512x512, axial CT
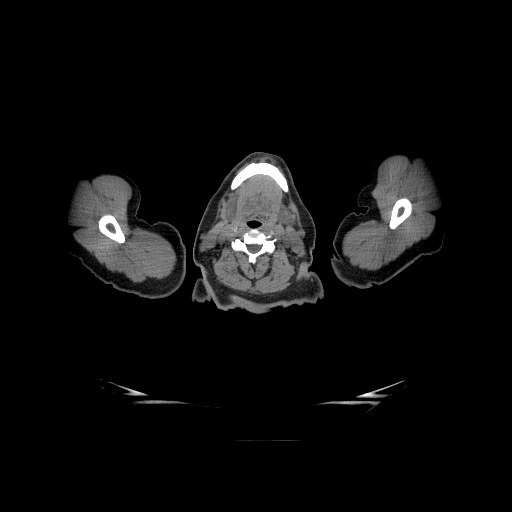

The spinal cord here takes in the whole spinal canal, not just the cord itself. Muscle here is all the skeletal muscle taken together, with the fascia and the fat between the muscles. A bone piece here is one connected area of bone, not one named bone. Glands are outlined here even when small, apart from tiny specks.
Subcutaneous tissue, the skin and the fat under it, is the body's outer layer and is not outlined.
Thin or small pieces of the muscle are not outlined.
The left arm is outlined by (401, 147) (426, 151) (440, 175) (451, 218) (442, 247) (436, 253) (420, 257) (385, 283) (365, 289) (348, 286) (334, 275) (330, 265) (335, 231) (348, 213) (366, 211) (365, 207) (357, 204) (359, 191) (372, 181) (373, 166) (377, 159) (384, 153). The bones appear in 4 outlined pieces: piece 1: (250, 228) (257, 228) (266, 235) (271, 231) (272, 232) (271, 235) (276, 239) (274, 250) (271, 253) (265, 252) (261, 254) (256, 258) (256, 261) (254, 263) (251, 263) (249, 261) (248, 256) (245, 253) (239, 250) (234, 250) (231, 246) (232, 240) (236, 237) (241, 236); inner edge: (249, 244) (257, 244) (258, 245) (260, 245) (261, 246) (260, 247) (260, 248) (259, 249) (259, 250) (258, 250) (256, 252) (251, 252) (250, 251) (249, 251) (249, 250) (248, 249) (248, 248) (247, 247) (247, 245) (248, 245); piece 2: (251, 162) (268, 162) (276, 166) (286, 178) (287, 183) (288, 184) (288, 187) (289, 188) (289, 191) (288, 192) (283, 191) (278, 184) (269, 175) (264, 175) (263, 174) (255, 174) (245, 179) (236, 188) (232, 190) (230, 188) (230, 183) (234, 176) (242, 168); piece 3: (104, 214) (111, 214) (113, 216) (114, 216) (114, 217) (118, 222) (125, 236) (125, 241) (123, 243) (118, 243) (116, 241) (111, 239) (109, 237) (103, 234) (99, 230) (99, 228) (98, 227) (98, 220) (99, 218) (102, 215); piece 4: (401, 197) (406, 197) (410, 200) (410, 201) (412, 204) (412, 208) (411, 209) (411, 213) (400, 224) (399, 224) (394, 229) (390, 229) (389, 228) (389, 221) (390, 220) (390, 217) (391, 216) (391, 211) (392, 210) (393, 205) (395, 203) (395, 202) (399, 198) (400, 198). The head and neck is outlined by (254, 151) (276, 154) (285, 161) (299, 195) (314, 221) (316, 236) (311, 269) (321, 279) (325, 295) (313, 304) (292, 304) (266, 313) (252, 313) (238, 308) (222, 310) (212, 301) (191, 301) (194, 282) (201, 274) (192, 257) (193, 242) (200, 219) (223, 178) (241, 159) with a hole at (253, 220) (255, 220) (256, 221) (258, 221) (259, 222) (259, 225) (258, 225) (256, 227) (251, 227) (248, 224) (248, 222) (249, 222) (250, 221) (252, 221). The muscle appears in 4 outlined pieces: piece 1: (255, 175) (269, 176) (285, 193) (288, 193) (290, 189) (305, 230) (303, 240) (305, 247) (306, 278) (291, 289) (262, 295) (222, 289) (212, 281) (208, 274) (204, 256) (199, 251) (202, 239) (201, 236) (212, 223) (217, 203) (228, 185) (232, 191) (245, 180), around a hole outlined by (253, 220) (259, 222) (259, 225) (256, 227) (266, 235) (271, 231) (271, 235) (276, 239) (276, 241) (275, 248) (271, 253) (265, 252) (258, 256) (254, 263) (251, 263) (245, 253) (232, 248) (231, 242) (236, 237) (239, 237) (248, 231) (251, 227) (248, 222); piece 2: (104, 174) (118, 176) (125, 180) (131, 187) (132, 195) (127, 206) (129, 224) (132, 227) (139, 227) (158, 233) (171, 243) (176, 254) (176, 262) (173, 270) (166, 277) (147, 282) (134, 282) (127, 280) (101, 264) (75, 239) (70, 222) (79, 183) (86, 179) (94, 178); inner edge: (104, 214) (111, 214) (113, 216) (114, 216) (114, 217) (118, 222) (125, 236) (125, 241) (123, 243) (118, 243) (116, 241) (111, 239) (109, 237) (103, 234) (99, 230) (99, 228) (98, 227) (98, 220) (99, 218) (102, 215); piece 3: (395, 155) (407, 156) (421, 162) (435, 198) (436, 213) (433, 231) (427, 237) (406, 248) (396, 258) (383, 264) (375, 270) (369, 270) (352, 265) (343, 252) (343, 237) (352, 227) (377, 215) (378, 211) (376, 203) (371, 193) (378, 181) (378, 170) (380, 165) (384, 160); inner edge: (401, 197) (406, 197) (410, 200) (410, 201) (412, 204) (412, 208) (411, 209) (411, 213) (400, 224) (399, 224) (394, 229) (390, 229) (389, 228) (389, 221) (390, 220) (390, 217) (391, 216) (391, 211) (392, 210) (393, 205) (395, 203) (395, 202) (399, 198) (400, 198); piece 4: (256, 157) (269, 157) (275, 160) (277, 162) (277, 163) (282, 168) (284, 172) (284, 174) (276, 165) (268, 161) (251, 161) (247, 163) (243, 167) (242, 167) (235, 174) (237, 170) (239, 169) (245, 163) (247, 162) (249, 162) (252, 159). The submandibular glands appear in 2 outlined pieces: piece 1: (280, 205) (283, 206) (285, 208) (289, 208) (289, 209) (290, 210) (291, 210) (291, 211) (292, 212) (293, 212) (293, 214) (294, 215) (294, 217) (293, 218) (293, 222) (292, 223) (291, 223) (288, 225) (284, 225) (283, 224) (281, 224) (279, 222) (279, 207) (280, 206); piece 2: (234, 200) (234, 201) (235, 202) (235, 205) (236, 206) (236, 209) (237, 210) (236, 211) (235, 218) (234, 218) (231, 221) (230, 221) (229, 222) (226, 218) (226, 217) (224, 215) (224, 214) (223, 213) (223, 211) (224, 210) (224, 208) (226, 206) (226, 205). The spinal cord is outlined by (249, 244) (257, 244) (258, 245) (260, 245) (261, 246) (260, 247) (260, 248) (259, 249) (259, 250) (258, 250) (256, 252) (251, 252) (250, 251) (249, 251) (249, 250) (248, 249) (248, 248) (247, 247) (247, 245) (248, 245). The right arm is outlined by (92, 167) (113, 168) (129, 176) (138, 186) (141, 195) (137, 216) (149, 223) (166, 221) (178, 229) (186, 248) (186, 274) (181, 286) (173, 294) (164, 298) (149, 299) (117, 290) (96, 278) (81, 264) (77, 257) (68, 253) (57, 241) (52, 220) (54, 197) (68, 177).